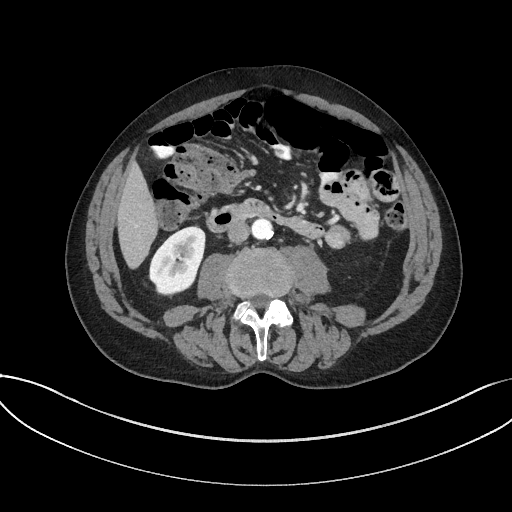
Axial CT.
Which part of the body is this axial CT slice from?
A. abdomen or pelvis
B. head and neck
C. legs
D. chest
Answer: A. abdomen or pelvis
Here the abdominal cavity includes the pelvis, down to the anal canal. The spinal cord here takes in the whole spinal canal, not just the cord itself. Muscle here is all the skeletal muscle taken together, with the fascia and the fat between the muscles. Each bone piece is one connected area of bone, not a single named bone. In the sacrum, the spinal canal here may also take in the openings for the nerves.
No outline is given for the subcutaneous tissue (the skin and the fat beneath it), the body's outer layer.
{"spinal_cord":[[[257,310],[262,310],[266,308],[268,306],[272,298],[262,293],[258,293],[255,295],[253,295],[252,296],[250,296],[248,297],[248,300],[251,304],[250,305],[251,307]]],"muscle":[[[217,374],[261,362],[256,359],[253,330],[231,319],[240,300],[226,279],[234,254],[205,258],[196,290],[200,299],[208,301],[205,305],[172,306],[156,322],[132,307],[120,286],[112,243],[116,210],[143,139],[149,132],[256,87],[271,87],[279,89],[386,139],[410,231],[401,268],[403,284],[390,306],[368,321],[364,308],[356,304],[328,306],[317,301],[317,295],[330,290],[325,264],[309,246],[281,251],[292,270],[291,287],[282,298],[294,322],[283,328],[270,326],[264,361],[288,371],[316,372],[414,314],[431,289],[442,248],[438,209],[421,170],[404,148],[359,112],[277,86],[263,84],[244,88],[162,119],[141,132],[101,174],[85,229],[87,264],[101,307],[126,327],[169,342],[191,366]]],"bones":[{"outer":[[259,361],[266,359],[269,326],[276,324],[283,327],[293,322],[293,317],[286,303],[281,298],[290,287],[291,270],[281,252],[274,248],[251,248],[241,252],[233,259],[227,273],[229,287],[241,299],[233,312],[232,319],[249,325],[254,330],[256,353]],"hole":[[257,310],[262,310],[266,308],[268,306],[272,298],[262,293],[258,293],[255,295],[253,295],[252,296],[250,296],[248,297],[248,300],[251,304],[250,305],[251,307]]}],"torso":[[[204,389],[229,387],[257,373],[308,389],[358,385],[425,355],[442,336],[457,306],[463,276],[461,247],[437,177],[389,113],[358,89],[319,70],[292,64],[236,66],[176,87],[111,142],[72,212],[64,253],[66,283],[75,313],[93,344],[128,372]]],"abdominal_cavity":[[[155,321],[172,305],[207,302],[195,290],[210,253],[296,244],[311,246],[328,267],[331,290],[317,300],[356,303],[368,320],[379,316],[400,290],[409,240],[407,211],[385,139],[271,88],[250,90],[149,133],[123,188],[113,243],[126,298]]]}